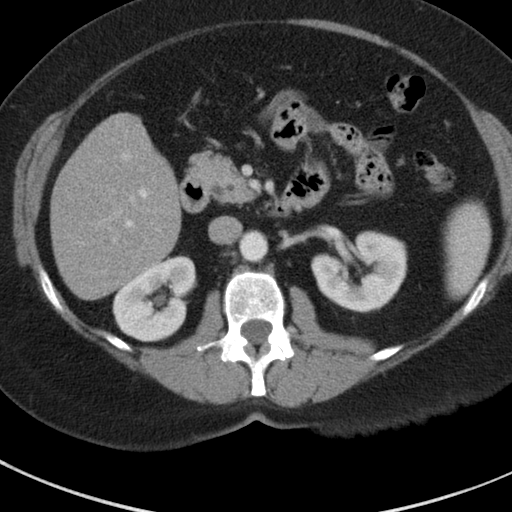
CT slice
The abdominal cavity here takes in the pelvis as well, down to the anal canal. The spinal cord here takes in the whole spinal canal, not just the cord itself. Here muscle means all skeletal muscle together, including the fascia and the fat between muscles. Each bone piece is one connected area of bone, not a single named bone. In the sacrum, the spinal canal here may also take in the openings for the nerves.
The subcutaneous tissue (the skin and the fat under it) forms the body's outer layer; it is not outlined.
{"spinal_cord":[[[255,319],[257,320],[263,320],[268,322],[271,325],[271,329],[269,333],[266,336],[266,342],[268,345],[267,348],[257,357],[253,358],[248,354],[246,350],[247,346],[251,343],[242,335],[241,333],[241,328],[242,325],[244,323],[250,320],[254,320]]],"bones":[{"outer":[[246,270],[266,272],[275,278],[284,295],[284,326],[294,350],[292,357],[275,359],[267,366],[263,374],[266,390],[263,396],[250,393],[251,371],[245,362],[222,361],[217,346],[201,352],[196,349],[198,344],[216,340],[226,333],[224,290],[233,274]],"hole":[[255,319],[257,320],[263,320],[268,322],[271,325],[271,329],[269,333],[266,336],[266,342],[268,345],[267,348],[257,357],[253,358],[248,354],[246,350],[247,346],[251,343],[242,335],[241,333],[241,328],[242,325],[244,323],[250,320],[254,320]]},[[40,266],[42,266],[47,272],[49,276],[49,278],[51,280],[52,284],[55,288],[56,295],[63,307],[63,311],[62,312],[60,312],[54,307],[54,306],[48,300],[42,289],[42,287],[40,284],[40,281],[39,280],[39,274],[38,273],[38,269]],[[485,277],[487,278],[488,282],[486,286],[486,290],[482,298],[480,300],[477,306],[472,311],[471,311],[467,315],[465,316],[462,316],[462,307],[464,305],[464,304],[466,303],[467,300],[469,298],[472,292],[474,290],[476,286],[479,283],[479,282]],[[397,344],[403,344],[403,347],[396,353],[390,356],[388,358],[386,359],[384,359],[383,360],[380,360],[379,361],[373,361],[372,360],[369,360],[367,359],[367,357],[369,355],[383,348],[385,348],[389,346],[392,346],[393,345],[396,345]],[[104,332],[109,332],[119,337],[122,340],[123,340],[129,345],[130,345],[130,346],[132,348],[132,351],[131,352],[129,352],[125,350],[122,350],[121,349],[119,349],[117,348],[115,346],[111,344],[103,336],[103,334]]],"muscle":[{"outer":[[288,18],[326,19],[344,24],[348,24],[364,29],[372,33],[378,34],[383,38],[412,51],[426,60],[450,81],[453,82],[479,108],[487,110],[495,115],[507,127],[511,132],[511,276],[506,279],[496,289],[494,296],[485,305],[474,313],[443,341],[414,355],[408,360],[386,371],[385,373],[379,374],[366,382],[352,387],[336,397],[327,401],[313,405],[306,405],[299,409],[287,409],[283,407],[279,407],[277,405],[269,401],[267,402],[261,398],[251,398],[247,401],[244,400],[227,405],[213,405],[207,403],[198,404],[173,393],[151,379],[148,379],[141,375],[129,371],[123,365],[114,360],[102,351],[101,349],[82,339],[70,329],[50,308],[36,288],[35,281],[30,272],[19,266],[15,256],[15,242],[12,236],[12,208],[13,207],[12,206],[12,192],[15,176],[14,169],[17,159],[25,144],[28,141],[34,130],[44,119],[52,112],[57,111],[71,103],[94,80],[121,61],[160,41],[196,28],[202,28],[205,26],[210,26],[218,23],[233,22],[238,20],[274,20],[275,19],[280,20]],"hole":[[253,24],[355,37],[437,78],[461,102],[491,156],[504,222],[477,306],[465,316],[459,308],[383,360],[367,359],[374,342],[320,327],[308,296],[292,287],[284,326],[294,354],[267,366],[263,396],[250,393],[245,362],[222,361],[217,346],[196,349],[227,331],[217,288],[207,293],[192,334],[168,347],[131,345],[129,352],[78,317],[56,289],[63,311],[48,300],[35,238],[48,174],[72,117],[92,95],[168,46]]}],"torso":[[[130,0],[426,0],[475,27],[511,57],[511,387],[449,419],[425,428],[383,435],[372,440],[332,441],[302,431],[276,429],[256,420],[223,436],[189,447],[158,453],[120,451],[70,437],[34,419],[0,391],[0,103],[34,64],[65,36],[95,17]]],"abdominal_cavity":[[[253,24],[395,51],[455,94],[487,148],[501,195],[499,253],[465,303],[421,337],[375,351],[368,339],[320,327],[298,287],[289,309],[271,273],[246,269],[223,293],[207,293],[192,334],[139,347],[78,317],[43,266],[42,192],[78,109],[155,52]]]}